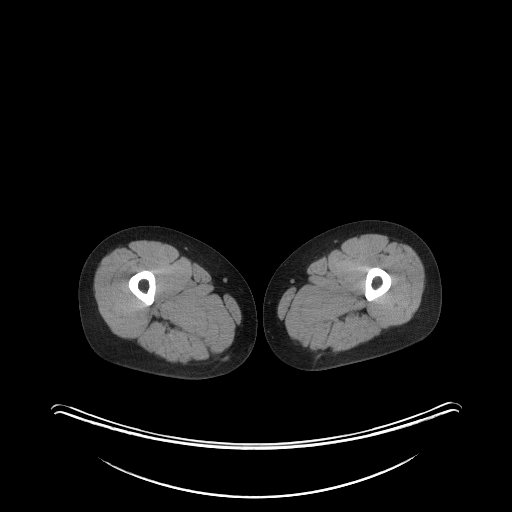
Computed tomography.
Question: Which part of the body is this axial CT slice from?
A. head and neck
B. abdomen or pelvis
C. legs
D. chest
Answer: C. legs
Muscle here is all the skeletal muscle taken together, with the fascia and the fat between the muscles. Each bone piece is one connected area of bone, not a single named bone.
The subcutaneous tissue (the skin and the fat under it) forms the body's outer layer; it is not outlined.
Outlined structures:
right leg: 139,225 158,225 172,228 206,243 223,255 238,270 248,284 255,301 257,335 251,353 233,371 203,380 183,380 163,377 112,364 98,356 90,347 82,329 78,308 78,281 83,264 94,247 104,238 119,230
bones 1: 144,269 146,270 150,270 154,274 154,276 155,277 155,282 156,283 156,290 155,291 155,294 154,295 154,300 152,304 148,306 144,305 144,304 131,292 128,287 128,281 130,277 137,272 141,270 143,270
bones 2: 376,266 380,267 382,269 386,271 390,275 391,275 392,277 392,282 389,289 383,295 382,295 380,297 378,297 374,300 368,301 366,299 364,295 364,280 367,273 367,270 370,267 375,267
left leg: 364,219 387,220 401,224 414,231 428,245 437,262 441,278 442,304 437,324 425,339 401,350 377,358 322,371 304,371 287,365 270,349 263,330 262,305 264,294 272,275 278,266 294,250 306,241 336,226
muscle 1: 140,239 157,240 174,246 212,274 237,302 241,311 241,323 237,331 237,336 228,350 218,359 206,365 192,367 171,365 149,354 130,341 119,338 113,334 101,317 93,290 94,274 99,262 112,248 with a hole at 144,269 146,270 150,270 154,274 154,276 155,277 155,282 156,283 156,290 155,291 155,294 154,295 154,300 152,304 148,306 144,305 144,304 131,292 128,287 128,281 130,277 137,272 141,270 143,270
muscle 2: 364,233 384,234 392,239 405,242 415,250 421,259 425,272 425,286 420,305 413,317 404,325 384,331 379,336 350,351 328,357 309,356 295,348 287,340 280,329 277,315 279,300 297,274 323,251 350,237, around a hole outlined by 376,266 380,267 382,269 386,271 390,275 391,275 392,277 392,282 389,289 383,295 382,295 380,297 378,297 374,300 368,301 366,299 364,295 364,280 367,273 367,270 370,267 375,267